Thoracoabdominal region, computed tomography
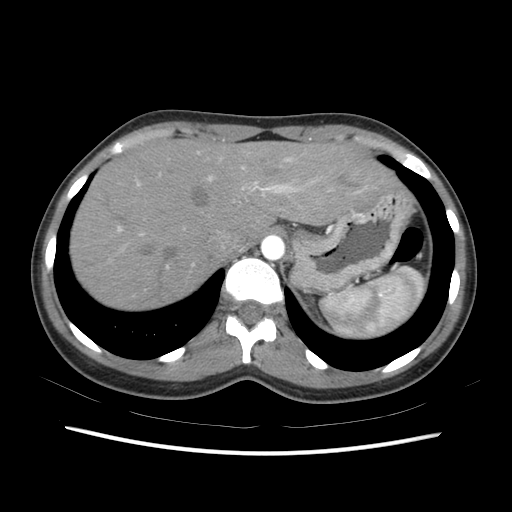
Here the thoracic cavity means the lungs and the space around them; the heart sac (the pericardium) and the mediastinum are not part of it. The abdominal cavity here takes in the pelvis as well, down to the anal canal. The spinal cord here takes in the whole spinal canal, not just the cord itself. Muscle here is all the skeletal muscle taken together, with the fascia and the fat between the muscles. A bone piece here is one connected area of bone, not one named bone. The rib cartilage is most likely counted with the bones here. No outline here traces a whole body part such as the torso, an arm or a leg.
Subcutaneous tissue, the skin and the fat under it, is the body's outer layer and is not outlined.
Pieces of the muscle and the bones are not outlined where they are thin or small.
The spinal cord is outlined by (246, 300) (254, 300) (264, 305) (264, 307) (265, 308) (264, 309) (265, 310) (264, 314) (261, 318) (261, 319) (260, 319) (254, 324) (251, 325) (249, 327) (243, 323) (243, 322) (239, 318) (236, 312) (237, 308) (238, 307) (238, 303) (239, 302) (245, 301). The thoracic cavity appears in 2 outlined pieces: piece 1: (92, 172) (93, 176) (72, 218) (67, 254) (73, 277) (81, 289) (95, 302) (118, 312) (141, 313) (158, 310) (185, 300) (218, 270) (225, 271) (218, 302) (205, 325) (183, 345) (156, 357) (130, 358) (100, 346) (67, 316) (58, 297) (53, 273) (58, 230) (69, 202); piece 2: (381, 155) (390, 155) (426, 179) (437, 193) (454, 237) (454, 265) (444, 309) (421, 343) (378, 367) (342, 369) (330, 365) (297, 335) (286, 311) (284, 289) (289, 289) (318, 328) (344, 340) (383, 337) (414, 315) (429, 286) (432, 232) (418, 198) (397, 172) (380, 160). The mediastinum is outlined by (270, 234) (278, 234) (282, 236) (285, 241) (285, 251) (283, 258) (283, 265) (286, 274) (286, 280) (288, 288) (287, 287) (284, 288) (282, 287) (280, 277) (276, 270) (269, 263) (263, 259) (255, 256) (244, 256) (240, 258) (242, 254) (251, 249) (258, 244) (264, 237). The muscle appears in 2 outlined pieces: piece 1: (173, 120) (264, 128) (347, 124) (382, 134) (418, 156) (392, 143) (363, 134) (354, 134) (351, 139) (344, 141) (285, 137) (263, 131) (246, 138) (224, 140) (175, 134) (174, 127) (162, 127) (116, 140) (108, 149) (113, 155) (90, 173) (80, 175) (67, 190) (65, 201) (68, 203) (58, 229) (50, 234) (46, 242) (44, 265) (48, 272) (52, 271) (57, 297) (72, 334) (98, 354) (104, 349) (130, 359) (155, 358) (161, 363) (174, 362) (185, 353) (185, 344) (210, 320) (220, 296) (227, 299) (229, 312) (226, 314) (224, 332) (239, 341) (241, 362) (244, 364) (203, 379) (182, 382) (131, 375) (100, 364) (83, 354) (53, 326) (43, 304) (39, 281) (45, 233) (56, 203) (70, 180) (101, 149) (121, 135) (143, 126); piece 2: (424, 161) (448, 191) (466, 237) (463, 309) (443, 343) (418, 363) (392, 377) (349, 387) (304, 387) (247, 365) (252, 362) (251, 351) (257, 341) (273, 342) (277, 338) (276, 323) (270, 315) (276, 304) (284, 305) (290, 325) (304, 345) (304, 356) (316, 369) (326, 370) (331, 366) (364, 371) (381, 367) (382, 373) (388, 373) (406, 365) (419, 354) (446, 305) (454, 303) (460, 289) (454, 236) (461, 231) (460, 223) (429, 181) (433, 176). The bones appear in 11 outlined pieces: piece 1: (244, 257) (259, 258) (269, 264) (279, 277) (284, 295) (284, 304) (273, 304) (271, 306) (273, 311) (269, 313) (275, 323) (276, 338) (273, 341) (257, 340) (251, 347) (251, 362) (248, 364) (242, 362) (240, 341) (225, 332) (230, 302) (220, 295) (226, 270) (233, 262) with a hole at (246, 300) (254, 300) (264, 305) (264, 307) (265, 308) (264, 309) (265, 310) (264, 314) (261, 318) (261, 319) (260, 319) (254, 324) (251, 325) (249, 327) (243, 323) (243, 322) (239, 318) (236, 312) (237, 308) (238, 307) (238, 303) (239, 302) (245, 301); piece 2: (354, 135) (363, 135) (373, 139) (376, 139) (379, 141) (387, 142) (396, 147) (402, 149) (406, 152) (415, 155) (423, 161) (429, 170) (432, 178) (428, 180) (423, 176) (411, 170) (403, 165) (387, 151) (383, 149) (371, 147) (363, 143) (360, 143) (353, 140) (352, 137); piece 3: (162, 128) (174, 128) (175, 131) (172, 135) (168, 135) (162, 137) (155, 137) (152, 139) (146, 140) (141, 143) (138, 143) (132, 147) (125, 149) (120, 153) (111, 154) (109, 151) (110, 147) (116, 141) (132, 136) (140, 132) (145, 132) (150, 130) (161, 129); piece 4: (422, 343) (423, 343) (423, 346) (421, 350) (418, 353) (418, 354) (409, 362) (403, 365) (401, 367) (397, 369) (395, 369) (392, 371) (389, 371) (388, 372) (382, 372) (381, 368) (383, 366) (389, 363) (391, 361) (396, 359) (398, 357) (405, 354) (412, 349) (417, 347); piece 5: (67, 317) (78, 328) (79, 328) (79, 329) (81, 330) (82, 332) (83, 332) (96, 344) (97, 344) (100, 347) (101, 347) (103, 349) (103, 351) (100, 353) (98, 353) (94, 351) (92, 349) (84, 345) (73, 334) (72, 331) (70, 329) (68, 325) (68, 323) (67, 322); piece 6: (53, 232) (57, 232) (56, 234) (56, 244) (55, 245) (55, 254) (54, 255) (54, 260) (53, 261) (53, 266) (52, 267) (52, 270) (51, 271) (48, 271) (46, 268) (46, 266) (45, 265) (45, 261) (44, 260) (45, 258) (45, 250) (46, 249) (47, 242) (51, 234); piece 7: (455, 265) (456, 266) (456, 268) (459, 274) (459, 289) (458, 290) (457, 295) (453, 303) (451, 305) (450, 305) (447, 303) (447, 301) (448, 300) (448, 295) (449, 294) (449, 286) (450, 285) (450, 281) (451, 280) (451, 275) (452, 274) (452, 271) (453, 270) (453, 268); piece 8: (305, 345) (311, 351) (312, 351) (321, 359) (322, 359) (325, 362) (326, 362) (330, 366) (328, 368) (327, 368) (326, 369) (319, 369) (318, 368) (316, 368) (315, 367) (314, 367) (307, 360) (307, 359) (305, 356) (305, 353) (304, 352) (304, 350) (305, 349); piece 9: (184, 345) (185, 345) (186, 349) (184, 353) (180, 358) (176, 359) (174, 361) (170, 361) (169, 362) (161, 362) (160, 361) (158, 361) (156, 359) (157, 357) (163, 354) (165, 354) (168, 352) (170, 352) (173, 350) (175, 350) (177, 348) (181, 346) (183, 346); piece 10: (86, 173) (89, 173) (89, 175) (88, 176) (88, 177) (87, 178) (86, 181) (84, 183) (84, 184) (80, 188) (80, 189) (74, 195) (74, 196) (68, 202) (67, 202) (66, 201) (66, 194) (67, 193) (68, 190) (70, 188) (71, 185) (80, 176) (81, 176); piece 11: (445, 207) (449, 207) (451, 208) (451, 209) (454, 212) (458, 220) (458, 222) (459, 223) (459, 229) (460, 231) (459, 233) (457, 234) (454, 234) (449, 224) (449, 222) (447, 219) (447, 216) (445, 212). The abdominal cavity is outlined by (263, 132) (352, 140) (389, 154) (378, 158) (417, 198) (433, 243) (427, 290) (405, 323) (365, 340) (322, 330) (289, 288) (286, 241) (278, 233) (264, 236) (185, 299) (158, 309) (118, 311) (82, 289) (68, 254) (70, 228) (94, 171) (108, 158) (174, 134) (234, 141).